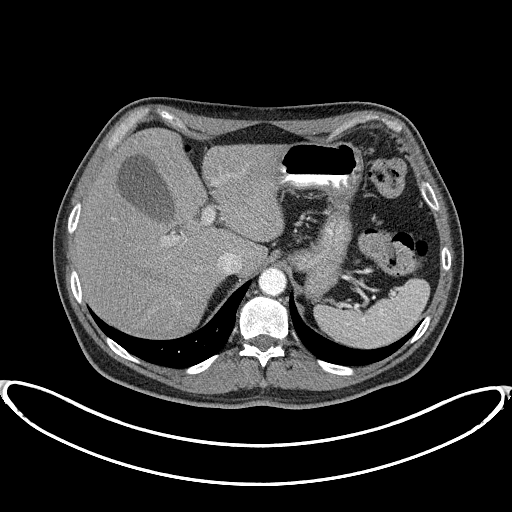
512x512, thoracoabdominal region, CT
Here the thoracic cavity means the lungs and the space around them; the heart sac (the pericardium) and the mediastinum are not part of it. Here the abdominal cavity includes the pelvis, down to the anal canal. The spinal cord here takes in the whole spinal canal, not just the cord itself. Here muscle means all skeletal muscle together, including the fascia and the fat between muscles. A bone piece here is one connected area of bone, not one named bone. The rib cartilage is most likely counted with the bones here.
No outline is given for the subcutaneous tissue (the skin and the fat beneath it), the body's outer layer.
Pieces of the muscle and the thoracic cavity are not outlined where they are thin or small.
{"bones":[{"outer":[[262,367],[265,366],[267,361],[271,357],[284,355],[285,351],[283,347],[283,340],[288,334],[289,317],[287,309],[278,300],[259,295],[249,299],[238,311],[238,325],[240,335],[243,339],[241,348],[239,350],[238,354],[241,356],[256,357],[259,360]],"hole":[[261,350],[265,350],[270,346],[273,345],[275,342],[275,340],[270,336],[268,335],[264,335],[263,334],[261,335],[259,335],[258,336],[256,336],[254,338],[253,338],[251,342],[252,344],[258,347]]},[[330,135],[338,134],[342,131],[357,124],[364,123],[371,120],[380,121],[396,132],[400,132],[402,130],[402,127],[401,125],[398,124],[395,121],[389,120],[384,117],[381,117],[375,114],[367,114],[363,116],[352,118],[344,122],[340,126],[337,127]],[[109,151],[111,151],[115,143],[124,134],[126,133],[126,132],[132,126],[132,125],[135,122],[136,122],[138,118],[145,116],[148,113],[149,113],[150,110],[148,108],[145,108],[142,110],[139,110],[131,114],[128,116],[118,126],[106,144],[106,147]],[[340,375],[351,375],[354,371],[352,367],[350,366],[344,366],[343,365],[338,365],[337,364],[333,364],[332,363],[329,363],[328,362],[326,362],[323,360],[321,360],[317,358],[316,359],[317,363],[323,370],[327,372],[335,373],[336,374],[339,374]],[[436,211],[437,210],[439,210],[439,204],[436,198],[436,196],[433,191],[433,189],[431,187],[431,186],[428,182],[426,181],[421,181],[420,182],[420,186],[419,187],[420,192],[423,198],[428,204],[428,205],[431,208],[431,209],[433,210],[435,210]],[[136,363],[139,363],[140,362],[140,360],[138,358],[137,358],[135,356],[129,353],[124,348],[123,348],[120,345],[119,345],[108,336],[106,336],[105,337],[105,340],[107,344],[114,352],[115,352],[120,356],[128,360],[133,361]],[[183,129],[186,129],[186,127],[183,123],[183,122],[178,117],[175,116],[173,114],[170,113],[168,111],[166,110],[164,110],[163,109],[160,109],[159,108],[157,108],[155,110],[155,112],[164,121],[166,121],[173,125],[175,125]],[[188,374],[194,374],[195,373],[198,373],[199,372],[200,372],[201,371],[206,369],[219,356],[219,354],[218,353],[217,353],[216,354],[211,356],[209,358],[208,358],[207,359],[206,359],[197,364],[192,365],[191,366],[186,368],[185,369],[185,372]],[[69,233],[72,233],[75,230],[76,228],[76,226],[77,225],[77,222],[78,221],[78,218],[79,217],[79,213],[81,209],[81,203],[80,202],[77,202],[75,204],[75,205],[72,208],[70,212],[70,214],[68,217],[68,222],[67,223],[67,230]],[[78,303],[82,303],[82,293],[81,292],[81,287],[79,283],[79,279],[77,275],[77,272],[74,269],[72,269],[71,271],[71,273],[70,274],[70,283],[71,284],[71,289]],[[409,343],[412,343],[413,342],[414,342],[417,339],[418,339],[426,330],[426,329],[429,324],[429,322],[430,321],[430,319],[431,318],[429,315],[426,315],[426,316],[422,320],[421,323],[417,328],[416,331],[411,337],[411,338],[409,341]],[[445,271],[447,271],[450,268],[450,267],[451,266],[451,255],[450,254],[450,252],[449,251],[449,250],[448,249],[448,248],[446,246],[443,246],[441,249],[441,252],[440,253],[440,255],[441,256],[441,267],[442,268],[442,269]]],"abdominal_cavity":[[[358,349],[389,345],[419,323],[439,277],[437,228],[402,138],[381,125],[307,137],[263,123],[220,135],[194,134],[154,117],[138,119],[116,143],[82,207],[74,242],[88,307],[129,335],[174,339],[205,325],[259,269],[277,265],[293,284],[304,323]]],"mediastinum":[[[288,310],[288,298],[289,297],[289,294],[292,291],[293,293],[293,287],[291,282],[287,278],[286,274],[277,266],[270,266],[259,270],[250,279],[251,280],[251,284],[246,291],[245,295],[241,301],[240,307],[252,296],[261,294],[278,299]]],"torso":[[[225,409],[258,405],[307,409],[348,401],[411,377],[435,350],[459,295],[463,276],[463,238],[453,200],[419,131],[399,111],[367,101],[252,106],[148,96],[117,110],[79,163],[56,215],[52,259],[60,300],[85,357],[100,374],[125,387],[178,403]]],"muscle":[{"outer":[[203,394],[224,393],[228,391],[237,390],[240,388],[249,389],[253,387],[261,387],[262,388],[264,387],[280,387],[284,389],[305,389],[312,391],[322,391],[323,390],[331,390],[332,389],[341,388],[370,378],[401,362],[422,344],[434,329],[446,305],[449,290],[451,287],[452,277],[453,276],[454,251],[452,247],[452,239],[450,235],[450,228],[448,223],[448,214],[446,210],[445,202],[442,197],[440,190],[424,160],[424,158],[413,135],[406,125],[399,119],[386,113],[374,110],[353,111],[325,118],[308,119],[307,120],[267,120],[266,119],[243,120],[242,119],[225,119],[224,118],[214,118],[213,117],[208,117],[207,116],[193,114],[163,104],[148,104],[147,105],[138,106],[126,112],[114,124],[100,142],[96,150],[89,160],[75,188],[73,195],[68,204],[67,210],[63,220],[64,221],[63,225],[63,245],[64,246],[64,256],[65,257],[65,283],[71,305],[79,321],[82,324],[88,334],[111,357],[141,374],[170,385],[175,388],[184,391],[188,391],[192,393],[202,393]],"hole":[[340,375],[351,375],[354,365],[380,360],[408,339],[409,343],[418,339],[431,318],[427,311],[439,269],[447,271],[451,266],[448,248],[439,246],[431,213],[439,210],[438,201],[429,183],[419,181],[412,156],[397,134],[401,125],[367,114],[344,122],[329,136],[301,136],[264,123],[220,135],[191,133],[178,117],[159,108],[155,112],[162,121],[146,117],[148,108],[128,116],[108,140],[106,147],[112,152],[83,206],[75,204],[67,223],[69,233],[77,229],[72,292],[78,303],[84,298],[110,348],[136,363],[143,359],[185,367],[186,373],[194,374],[219,356],[237,319],[243,339],[238,354],[254,356],[264,367],[271,357],[284,355],[289,320],[321,368]]}],"thoracic_cavity":[[[176,368],[187,367],[197,363],[219,352],[223,348],[236,324],[239,304],[250,284],[250,280],[245,282],[228,298],[214,317],[205,326],[189,335],[174,340],[155,341],[129,336],[103,322],[88,308],[92,317],[106,335],[111,337],[129,352],[146,361]],[[351,366],[371,363],[380,360],[391,354],[409,339],[419,324],[397,342],[389,346],[373,350],[358,350],[348,348],[323,338],[306,326],[301,320],[297,312],[293,300],[292,292],[289,298],[290,317],[289,320],[293,329],[305,347],[318,358],[333,363]]],"spinal_cord":[[[261,350],[265,350],[270,346],[273,345],[275,342],[275,340],[270,336],[268,335],[264,335],[263,334],[261,335],[259,335],[258,336],[256,336],[254,338],[253,338],[251,342],[252,344],[258,347]]]}